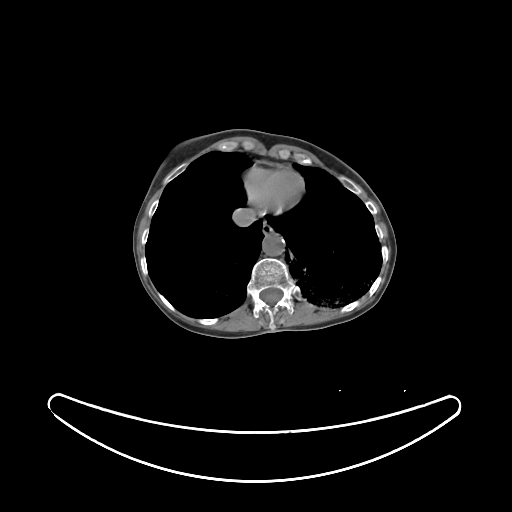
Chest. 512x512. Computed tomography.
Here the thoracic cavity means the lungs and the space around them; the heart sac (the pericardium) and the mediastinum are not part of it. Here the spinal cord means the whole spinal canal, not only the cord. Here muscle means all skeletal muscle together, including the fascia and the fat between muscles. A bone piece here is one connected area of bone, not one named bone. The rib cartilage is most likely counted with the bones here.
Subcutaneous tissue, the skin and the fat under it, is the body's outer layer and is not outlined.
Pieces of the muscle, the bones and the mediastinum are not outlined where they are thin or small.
The mediastinum appears in 2 outlined pieces: piece 1: 247 199; 248 205; 260 216; 266 215; 280 215; 269 215; 266 218; 266 219; 273 229; 281 234; 285 241; 284 253; 287 264; 276 257; 266 256; 258 259; 264 237; 262 231; 263 221; 260 218; 245 226; 240 226; 233 222; 233 212; 237 209; 244 208; piece 2: 236 150; 251 151; 256 154; 262 156; 268 156; 274 158; 280 158; 285 160; 291 158; 296 162; 294 162; 292 164; 293 167; 287 163; 279 162; 278 161; 272 161; 268 159; 257 159; 254 161; 253 163; 251 158; 248 155; 241 151. The muscle appears in 4 outlined pieces: piece 1: 362 188; 378 205; 382 219; 388 231; 391 246; 391 255; 389 260; 389 267; 382 286; 375 297; 368 304; 350 314; 318 323; 291 326; 281 325; 276 328; 275 315; 280 308; 285 308; 289 314; 292 314; 294 312; 294 295; 295 298; 299 301; 308 301; 315 304; 324 303; 333 307; 340 307; 339 311; 341 313; 347 313; 352 311; 361 303; 359 298; 365 293; 367 292; 367 294; 371 297; 377 290; 382 281; 382 276; 380 274; 382 264; 384 265; 389 258; 389 249; 385 244; 381 245; 380 243; 384 237; 384 233; 380 225; 375 222; 373 217; 377 214; 378 209; 372 200; 367 199; 363 201; 360 198; 359 196; 363 192; piece 2: 142 274; 145 277; 147 276; 149 277; 154 287; 157 290; 156 291; 157 296; 170 311; 176 312; 177 310; 189 317; 196 318; 197 322; 202 325; 209 326; 215 324; 219 320; 219 317; 235 310; 246 300; 247 297; 250 297; 252 301; 251 310; 253 316; 257 318; 261 311; 266 313; 269 319; 268 328; 262 327; 252 331; 222 331; 198 327; 189 324; 176 317; 160 303; 148 289; 142 277; piece 3: 234 136; 249 136; 250 137; 253 137; 262 142; 267 148; 269 148; 275 144; 287 144; 288 145; 298 146; 301 148; 308 150; 314 154; 328 167; 335 170; 338 173; 342 174; 340 174; 336 177; 332 175; 327 170; 317 165; 313 165; 312 159; 309 156; 301 152; 294 152; 292 154; 292 157; 293 158; 292 158; 290 157; 291 153; 285 148; 281 148; 277 151; 279 157; 274 157; 268 155; 262 155; 256 153; 251 150; 255 147; 255 144; 252 141; 247 139; 242 141; 240 144; 243 149; 236 149; 239 146; 239 143; 235 140; 224 140; 217 145; 216 149; 207 151; 190 162; 189 161; 183 161; 218 140; 224 138; 233 137; piece 4: 161 182; 164 187; 159 197; 156 197; 151 202; 147 211; 147 215; 150 218; 150 223; 149 225; 146 226; 142 230; 141 233; 140 243; 144 246; 144 253; 139 259; 139 264; 136 250; 137 232; 139 223; 149 199; 159 187. The spinal cord is outlined by 269 288; 275 288; 276 289; 278 289; 279 290; 280 290; 282 293; 282 294; 281 295; 281 297; 276 302; 275 302; 271 305; 270 304; 267 303; 265 301; 264 301; 260 297; 260 293; 262 291; 263 291; 266 289; 268 289. The thoracic cavity appears in 2 outlined pieces: piece 1: 213 150; 235 150; 250 158; 252 164; 238 174; 247 197; 246 203; 232 212; 231 219; 240 227; 260 219; 263 237; 246 284; 245 300; 235 309; 218 317; 197 318; 178 310; 155 287; 149 276; 145 245; 151 219; 165 186; 191 162; piece 2: 294 163; 317 166; 327 171; 346 189; 359 197; 373 218; 375 233; 380 244; 379 273; 366 292; 343 305; 315 303; 303 295; 289 271; 285 253; 286 241; 282 234; 268 222; 269 216; 280 216; 292 210; 306 193; 304 178; 293 166. The bones appear in 14 outlined pieces: piece 1: 266 257; 279 259; 287 265; 289 274; 307 299; 299 300; 294 294; 292 296; 292 313; 289 313; 285 307; 280 307; 274 315; 274 330; 269 328; 270 319; 266 312; 261 310; 257 317; 254 316; 253 301; 246 293; 254 264; 259 259 with a hole at 269 288; 275 288; 276 289; 278 289; 279 290; 280 290; 282 293; 282 294; 281 295; 281 297; 276 302; 275 302; 271 305; 270 304; 267 303; 265 301; 264 301; 260 297; 260 293; 262 291; 263 291; 266 289; 268 289; piece 2: 340 175; 343 175; 344 176; 349 178; 351 180; 352 180; 360 188; 361 188; 361 189; 362 190; 362 192; 361 193; 361 194; 358 196; 356 194; 355 194; 353 192; 350 191; 347 188; 346 188; 337 178; 337 177; 338 177; piece 3: 182 162; 189 162; 189 164; 187 166; 187 167; 181 173; 180 173; 177 176; 176 176; 173 179; 172 179; 169 182; 168 182; 165 185; 163 185; 162 182; 163 181; 164 178; 175 167; 176 167; 178 165; 179 165; piece 4: 224 141; 235 141; 236 142; 237 142; 238 143; 238 146; 234 150; 232 150; 231 151; 221 151; 220 150; 218 150; 217 149; 217 147; 218 146; 218 145; 220 143; 221 143; 222 142; 223 142; piece 5: 294 153; 301 153; 302 154; 304 154; 306 156; 307 156; 308 157; 309 157; 311 159; 311 160; 312 161; 312 165; 304 165; 303 164; 301 164; 300 163; 299 163; 298 162; 297 162; 294 159; 294 158; 293 157; 293 154; piece 6: 356 299; 359 299; 359 300; 360 301; 360 303; 357 306; 356 306; 352 310; 351 310; 350 311; 348 311; 347 312; 341 312; 340 311; 340 308; 342 306; 343 306; 344 305; 345 305; 346 304; 347 304; 348 303; 349 303; piece 7: 379 274; 381 276; 381 281; 380 282; 380 283; 378 285; 378 286; 377 287; 376 290; 373 293; 373 294; 371 296; 370 296; 368 294; 368 290; 369 289; 369 288; 370 287; 371 284; 374 281; 374 280; 379 275; piece 8: 198 318; 218 318; 218 320; 215 323; 214 323; 213 324; 210 324; 209 325; 205 325; 204 324; 202 324; 201 323; 200 323; 199 322; 198 322; 198 321; 197 320; 197 319; piece 9: 144 254; 145 255; 145 260; 146 261; 146 264; 147 265; 147 271; 148 272; 148 275; 147 275; 146 276; 145 276; 142 273; 142 271; 141 270; 141 268; 140 267; 140 259; 141 258; 141 257; piece 10: 367 200; 370 200; 371 201; 372 201; 372 202; 374 204; 374 205; 376 207; 376 208; 377 209; 377 212; 375 215; 372 215; 372 214; 368 210; 368 209; 366 207; 366 206; 364 203; 364 201; 366 201; piece 11: 157 291; 158 291; 176 309; 176 311; 172 311; 171 310; 170 310; 163 303; 163 302; 160 299; 160 298; 158 296; 158 295; 157 294; piece 12: 156 198; 159 198; 159 201; 158 202; 158 204; 157 205; 157 207; 156 208; 156 209; 155 210; 153 215; 151 217; 151 218; 150 217; 149 217; 149 216; 148 215; 148 211; 149 210; 149 208; 150 207; 152 202; piece 13: 247 140; 248 141; 250 141; 251 142; 252 142; 254 144; 254 147; 252 149; 251 149; 250 150; 245 150; 242 147; 242 145; 241 144; 242 143; 242 142; 243 142; 244 141; 246 141; piece 14: 281 149; 285 149; 286 150; 287 150; 290 153; 290 155; 289 156; 289 157; 288 158; 286 158; 285 159; 284 158; 281 158; 280 157; 280 156; 279 155; 279 154; 278 153; 278 151; 279 150; 280 150. The pericardium is outlined by 257 160; 268 160; 272 162; 278 162; 279 163; 287 164; 291 166; 292 168; 301 175; 304 182; 305 193; 297 205; 292 209; 285 211; 280 214; 260 215; 249 205; 248 203; 248 197; 243 186; 240 174; 241 172; 246 168; 251 166. The torso is outlined by 231 128; 255 129; 312 142; 341 157; 369 184; 387 212; 397 243; 391 279; 383 295; 371 309; 355 319; 322 329; 281 331; 226 339; 201 335; 178 326; 150 299; 138 277; 132 253; 133 224; 150 181; 164 154; 174 143; 190 136.